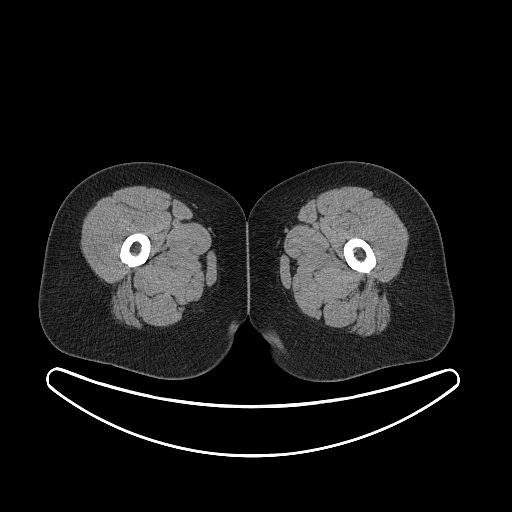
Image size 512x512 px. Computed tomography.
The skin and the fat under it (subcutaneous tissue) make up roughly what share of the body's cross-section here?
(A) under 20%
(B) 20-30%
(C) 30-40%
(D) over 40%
Answer: (D) over 40%
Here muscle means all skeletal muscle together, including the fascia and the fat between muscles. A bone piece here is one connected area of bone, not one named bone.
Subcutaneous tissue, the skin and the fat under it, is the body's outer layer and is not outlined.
Outlines (x, y in pixels):
right leg: [[134,161],[168,164],[206,179],[231,194],[240,204],[247,217],[249,316],[238,328],[227,357],[215,368],[196,377],[177,380],[160,379],[110,364],[65,354],[47,339],[39,321],[38,293],[45,247],[53,219],[60,204],[80,181],[92,173],[111,165]]
bones 1: [[353,237],[358,237],[366,241],[370,245],[375,255],[375,257],[376,258],[376,264],[375,266],[372,269],[371,269],[368,273],[359,272],[351,268],[349,266],[349,265],[347,263],[345,259],[345,257],[343,253],[343,246],[347,240]]
bones 2: [[136,232],[141,232],[142,233],[144,233],[148,237],[150,241],[150,251],[149,252],[148,258],[144,263],[135,267],[130,267],[125,263],[121,261],[120,257],[119,256],[119,253],[120,252],[120,248],[121,247],[121,245],[125,238],[130,234],[132,234]]
left leg: [[346,160],[369,162],[386,167],[405,178],[425,198],[436,218],[442,237],[454,300],[455,322],[447,345],[432,359],[391,366],[341,381],[306,381],[289,375],[273,363],[266,342],[254,329],[249,319],[251,297],[248,216],[256,201],[281,181],[318,165]]
muscle 1: [[344,185],[361,186],[376,191],[381,198],[389,202],[394,208],[409,234],[403,265],[397,277],[388,287],[392,298],[390,323],[380,334],[363,338],[332,333],[312,325],[293,308],[283,291],[279,277],[279,244],[286,223],[307,200],[314,198],[321,192]] with a hole at [[353,237],[358,237],[366,241],[370,245],[375,255],[375,257],[376,258],[376,264],[375,266],[372,269],[371,269],[368,273],[359,272],[351,268],[349,266],[349,265],[347,263],[345,259],[345,257],[343,253],[343,246],[347,240]]
muscle 2: [[132,185],[156,187],[169,192],[184,202],[210,228],[217,242],[218,285],[216,289],[187,318],[160,331],[139,331],[126,328],[116,323],[110,312],[109,290],[104,282],[100,280],[90,268],[80,249],[81,226],[86,213],[100,198],[109,195],[114,190]]; inner edge: [[136,232],[141,232],[142,233],[144,233],[148,237],[150,241],[150,251],[149,252],[148,258],[144,263],[135,267],[130,267],[125,263],[121,261],[120,257],[119,256],[119,253],[120,252],[120,248],[121,247],[121,245],[125,238],[130,234],[132,234]]